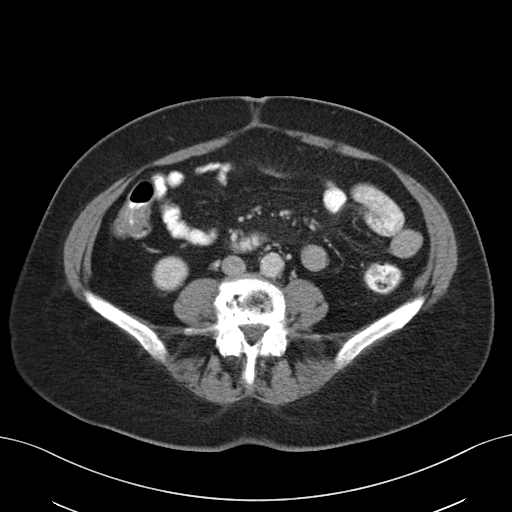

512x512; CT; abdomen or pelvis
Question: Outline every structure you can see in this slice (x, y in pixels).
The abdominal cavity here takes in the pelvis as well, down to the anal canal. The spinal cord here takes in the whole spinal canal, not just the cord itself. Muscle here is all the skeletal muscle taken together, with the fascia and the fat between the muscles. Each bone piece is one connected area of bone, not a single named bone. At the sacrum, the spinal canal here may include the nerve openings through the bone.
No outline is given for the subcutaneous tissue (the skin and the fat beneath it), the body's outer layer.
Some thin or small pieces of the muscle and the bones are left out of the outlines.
Answer: {"torso":[[[218,95],[294,95],[348,106],[398,128],[446,171],[479,231],[495,301],[490,355],[457,401],[405,429],[339,447],[282,451],[245,444],[204,452],[168,448],[88,424],[46,402],[20,379],[9,349],[10,298],[66,172],[93,143],[127,121],[165,105]]],"spinal_cord":[[[253,324],[254,325],[261,325],[265,328],[260,338],[256,340],[254,342],[251,343],[249,342],[246,339],[245,337],[245,335],[244,334],[244,332],[242,330],[241,327],[245,325],[252,325]]],"abdominal_cavity":[[[252,128],[376,161],[396,175],[429,236],[426,264],[401,303],[357,328],[318,333],[312,326],[329,304],[303,278],[282,288],[253,276],[195,278],[172,304],[185,327],[155,324],[100,294],[92,283],[94,243],[104,214],[128,185],[148,168],[206,154]]],"muscle":[[[296,279],[313,283],[328,304],[324,317],[311,326],[312,332],[307,335],[310,339],[370,323],[337,350],[333,362],[338,371],[347,366],[342,371],[319,391],[281,405],[253,397],[221,405],[180,386],[151,357],[164,362],[168,354],[165,343],[153,329],[127,312],[155,325],[182,327],[186,335],[212,333],[221,356],[244,356],[241,377],[250,386],[255,380],[258,357],[281,357],[287,349],[291,329],[286,323],[282,289]],[[253,119],[341,141],[389,161],[422,184],[444,208],[457,244],[456,270],[444,295],[410,321],[426,300],[423,294],[404,300],[427,264],[430,236],[420,205],[389,167],[376,160],[313,145],[273,129],[252,127],[211,151],[174,163],[151,166],[140,172],[102,216],[90,258],[91,283],[99,294],[90,289],[83,291],[84,299],[92,309],[78,299],[66,280],[63,247],[74,221],[85,206],[128,172],[179,149],[238,129]],[[198,278],[212,278],[213,279],[217,279],[219,280],[219,283],[217,285],[217,292],[214,296],[213,301],[212,302],[212,305],[215,311],[216,319],[215,321],[207,323],[204,326],[188,326],[176,316],[173,310],[173,304],[178,295],[184,287],[191,281]],[[396,330],[399,330],[395,334],[390,336],[385,340],[382,341],[379,345],[374,347],[366,354],[364,354],[360,356],[357,359],[356,359],[352,364],[348,365],[348,364],[365,348],[372,344],[376,340],[380,339],[384,336],[387,335],[389,333]],[[111,323],[116,325],[119,328],[122,329],[128,334],[132,336],[146,351],[144,350],[141,350],[140,349],[140,347],[136,343],[128,339],[128,338],[121,331],[120,331],[119,329],[118,329],[115,326],[114,326],[113,324]]],"bones":[{"outer":[[251,277],[267,280],[281,289],[286,305],[285,323],[290,332],[286,336],[288,343],[281,356],[257,357],[254,380],[248,385],[242,377],[246,364],[244,355],[223,356],[215,346],[212,332],[186,334],[184,329],[204,327],[216,321],[213,302],[222,280]],"hole":[[253,324],[254,325],[261,325],[265,328],[260,338],[256,340],[254,342],[251,343],[249,342],[246,339],[245,337],[245,335],[244,334],[244,332],[242,330],[241,327],[245,325],[252,325]]},[[418,295],[423,295],[425,297],[425,300],[418,312],[403,327],[400,329],[393,330],[382,337],[376,339],[372,343],[365,347],[343,368],[339,370],[336,368],[334,358],[338,350],[345,341],[403,302],[407,300],[410,300]],[[85,290],[90,290],[94,293],[98,294],[153,330],[164,343],[167,350],[167,354],[164,361],[160,361],[157,359],[155,359],[148,353],[148,352],[132,335],[122,328],[119,327],[116,324],[109,321],[95,311],[89,305],[85,299],[84,296],[84,291]]]}